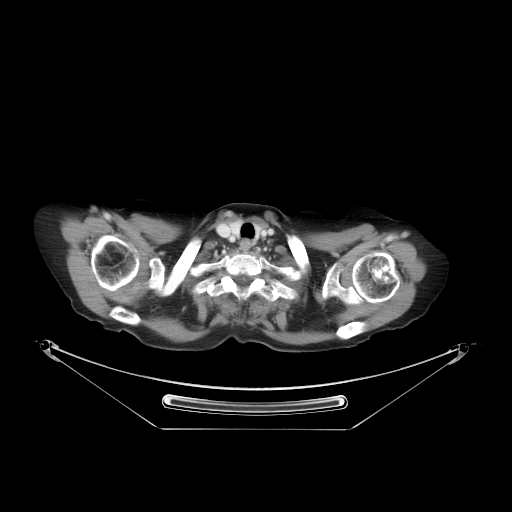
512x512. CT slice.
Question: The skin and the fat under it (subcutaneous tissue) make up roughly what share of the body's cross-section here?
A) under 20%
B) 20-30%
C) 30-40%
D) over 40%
Answer: B) 20-30%
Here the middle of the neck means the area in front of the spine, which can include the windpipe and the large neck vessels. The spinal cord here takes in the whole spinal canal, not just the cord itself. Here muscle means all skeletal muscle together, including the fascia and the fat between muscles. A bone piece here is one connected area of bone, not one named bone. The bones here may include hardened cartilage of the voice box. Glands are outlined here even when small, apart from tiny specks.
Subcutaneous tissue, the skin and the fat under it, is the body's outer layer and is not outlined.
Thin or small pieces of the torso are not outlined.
Outlined structures:
muscle: (91, 206) (120, 215) (139, 212) (188, 229) (221, 210) (245, 214) (270, 210) (282, 223) (300, 231) (338, 231) (367, 222) (380, 232) (412, 231) (427, 270) (417, 284) (411, 306) (402, 315) (367, 331) (364, 320) (348, 321) (337, 327) (335, 335) (339, 339) (295, 345) (248, 326) (224, 325) (196, 340) (173, 342) (138, 325) (142, 321) (139, 314) (123, 305) (110, 309) (108, 314) (113, 319) (110, 319) (82, 303) (67, 270) (59, 219) (63, 214); inner edges: (238, 219) (271, 230) (263, 247) (247, 252) (258, 258) (263, 256) (277, 266) (299, 269) (286, 236) (300, 238) (309, 260) (301, 277) (292, 280) (274, 269) (269, 272) (297, 292) (294, 299) (279, 297) (269, 301) (253, 293) (239, 300) (230, 292) (217, 296) (193, 293) (193, 286) (214, 271) (198, 276) (188, 272) (167, 296) (147, 287) (149, 260) (160, 258) (166, 279) (194, 237) (199, 237) (201, 244) (193, 266) (240, 253) (216, 231) (219, 225), then (373, 251) (387, 252) (395, 261) (400, 283) (389, 299) (375, 303) (364, 300) (358, 304) (348, 304) (336, 296) (326, 299) (322, 298) (321, 291) (326, 273) (335, 262) (342, 266) (339, 274) (340, 284) (343, 287) (348, 287) (353, 284) (351, 273) (355, 262) (360, 257), then (106, 234) (113, 235) (124, 241) (131, 243) (137, 250) (137, 253) (139, 257) (139, 267) (135, 277) (127, 284) (121, 286) (113, 291) (108, 290) (99, 285) (92, 271) (91, 263) (90, 262) (91, 259) (91, 250) (94, 244) (99, 237) (102, 235) (105, 235)
middle of the neck: (246, 220) (253, 222) (256, 240) (259, 238) (260, 233) (264, 228) (271, 230) (272, 233) (271, 237) (263, 247) (247, 252) (242, 252) (235, 246) (228, 244) (222, 239) (216, 231) (216, 228) (219, 225) (226, 224) (231, 232) (238, 238) (240, 235) (240, 229) (244, 221)
bones 1: (288, 234) (300, 238) (309, 265) (296, 280) (274, 269) (269, 274) (293, 288) (298, 294) (294, 299) (193, 293) (193, 286) (214, 271) (198, 276) (188, 272) (167, 296) (147, 287) (149, 260) (160, 258) (166, 279) (194, 237) (201, 244) (193, 266) (243, 252) (298, 270), around a hole outlined by (242, 274) (243, 274) (244, 275) (247, 275) (248, 276) (249, 276) (250, 277) (251, 277) (251, 281) (249, 283) (249, 284) (247, 286) (246, 286) (244, 288) (241, 288) (236, 283) (236, 282) (234, 280) (234, 277) (235, 276) (237, 276) (238, 275) (241, 275)
bones 2: (373, 251) (387, 252) (395, 261) (400, 283) (389, 299) (375, 303) (364, 300) (358, 304) (348, 304) (336, 296) (326, 299) (322, 298) (321, 291) (326, 273) (335, 262) (342, 266) (339, 274) (340, 284) (343, 287) (348, 287) (353, 284) (351, 273) (355, 262) (360, 257)
bones 3: (106, 234) (113, 235) (124, 241) (131, 243) (137, 250) (137, 253) (139, 257) (139, 267) (135, 277) (127, 284) (121, 286) (113, 291) (108, 290) (99, 285) (92, 271) (91, 263) (90, 262) (91, 259) (91, 250) (94, 244) (99, 237) (102, 235) (105, 235)
bones 4: (117, 305) (120, 305) (121, 306) (123, 306) (125, 308) (131, 311) (136, 312) (141, 319) (141, 321) (139, 323) (139, 324) (137, 325) (130, 325) (129, 324) (126, 324) (125, 323) (120, 322) (112, 318) (110, 316) (109, 313) (111, 309) (114, 306) (116, 306)
bones 5: (351, 321) (364, 321) (366, 323) (366, 326) (365, 327) (365, 328) (366, 329) (365, 330) (365, 331) (364, 331) (359, 334) (357, 334) (352, 337) (350, 337) (347, 339) (340, 339) (336, 335) (336, 331) (337, 330) (338, 327) (339, 327) (348, 322) (350, 322)
left arm: (379, 211) (385, 213) (392, 218) (402, 218) (409, 220) (428, 238) (444, 248) (450, 258) (450, 270) (445, 286) (430, 306) (428, 311) (423, 316) (406, 326) (393, 330) (385, 327) (378, 322) (366, 310) (361, 300) (353, 289) (346, 271) (346, 256) (350, 245)
torso: (134, 197) (209, 210) (232, 202) (268, 204) (283, 212) (308, 207) (328, 215) (354, 205) (376, 208) (347, 249) (345, 271) (365, 310) (391, 330) (350, 348) (280, 352) (232, 338) (207, 351) (166, 350) (102, 328) (92, 321) (136, 302) (151, 279) (149, 252) (117, 207)
thyroid glands 1: (238, 219) (241, 219) (242, 220) (243, 220) (243, 222) (242, 223) (242, 224) (239, 229) (239, 235) (238, 236) (238, 237) (237, 237) (232, 232) (232, 230) (230, 228) (230, 227) (227, 224) (228, 224) (230, 222) (231, 222) (232, 221) (234, 221) (235, 220) (237, 220)
thyroid glands 2: (254, 222) (258, 226) (259, 226) (260, 227) (261, 227) (262, 228) (263, 228) (262, 228) (261, 229) (261, 230) (260, 231) (260, 232) (259, 233) (259, 235) (258, 236) (258, 238) (257, 239) (256, 239) (256, 232) (255, 231) (255, 228) (254, 227)
spinal cord: (242, 274) (243, 274) (244, 275) (247, 275) (248, 276) (249, 276) (250, 277) (251, 277) (251, 281) (249, 283) (249, 284) (247, 286) (246, 286) (244, 288) (241, 288) (236, 283) (236, 282) (234, 280) (234, 277) (235, 276) (237, 276) (238, 275) (241, 275)
right arm: (88, 194) (106, 198) (113, 203) (144, 244) (150, 260) (150, 279) (144, 293) (136, 301) (120, 311) (103, 318) (92, 320) (85, 318) (72, 309) (69, 299) (59, 287) (38, 250) (33, 236) (31, 225) (33, 210) (36, 205) (43, 199) (51, 196) (65, 198) (80, 198)